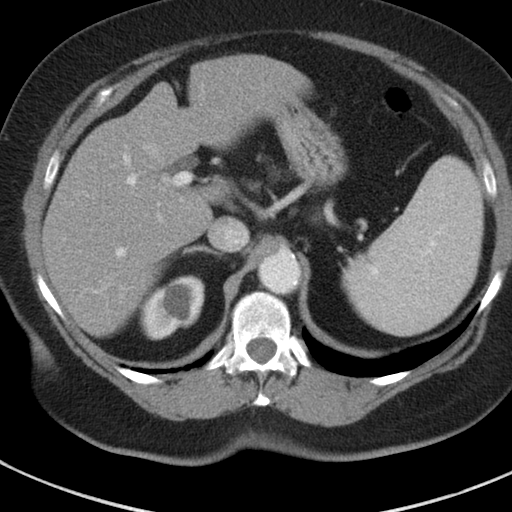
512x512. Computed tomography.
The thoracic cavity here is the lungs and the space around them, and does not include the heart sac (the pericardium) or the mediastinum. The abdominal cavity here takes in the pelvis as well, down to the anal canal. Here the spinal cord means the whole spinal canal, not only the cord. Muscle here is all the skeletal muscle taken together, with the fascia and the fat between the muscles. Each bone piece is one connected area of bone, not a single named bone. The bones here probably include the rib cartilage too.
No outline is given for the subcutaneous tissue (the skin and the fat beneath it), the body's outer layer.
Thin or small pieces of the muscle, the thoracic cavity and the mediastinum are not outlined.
{"bones":[{"outer":[[253,291],[267,292],[287,305],[291,317],[291,333],[305,344],[312,362],[310,367],[299,364],[293,377],[278,370],[270,370],[262,377],[262,383],[255,371],[246,370],[232,375],[226,372],[224,366],[203,369],[203,365],[226,341],[235,304],[242,296]],"hole":[[257,338],[267,338],[268,339],[270,339],[275,344],[276,346],[276,349],[275,350],[274,354],[268,360],[267,360],[263,363],[260,363],[256,361],[254,359],[253,359],[250,356],[250,355],[247,351],[247,345],[248,343],[251,340],[253,339],[256,339]]},[[497,270],[501,270],[503,271],[504,273],[501,285],[497,293],[491,300],[491,301],[478,314],[476,314],[476,311],[480,303],[480,300],[482,298],[484,293],[486,291],[487,287],[490,282],[490,280],[492,278],[493,275]],[[115,365],[120,365],[124,367],[129,367],[131,369],[133,369],[136,371],[138,371],[145,374],[154,375],[158,378],[161,379],[162,381],[159,383],[150,383],[149,384],[143,384],[142,383],[138,383],[137,382],[135,382],[120,373],[115,368]],[[55,149],[58,149],[60,153],[60,159],[59,160],[59,168],[55,176],[55,178],[53,181],[53,183],[52,185],[49,189],[45,189],[43,187],[43,180],[44,179],[44,176],[45,175],[45,171],[46,170],[46,167],[48,164],[49,159],[52,153]],[[37,273],[39,273],[42,276],[43,279],[47,284],[48,287],[50,289],[51,292],[53,294],[54,297],[59,304],[61,308],[61,310],[63,312],[65,316],[65,319],[62,319],[59,316],[59,315],[50,306],[50,305],[44,298],[36,282],[36,275]],[[483,157],[485,157],[489,160],[490,164],[493,170],[494,176],[495,177],[495,181],[496,182],[496,195],[495,197],[493,198],[492,197],[490,197],[488,195],[486,188],[485,187],[485,185],[484,184],[484,181],[483,180],[483,176],[482,175],[482,158]],[[111,85],[115,87],[115,91],[114,93],[111,96],[109,100],[109,102],[108,103],[106,103],[104,104],[95,113],[90,113],[88,111],[88,108],[90,104],[92,102],[95,95],[102,88],[104,88],[105,87],[107,87]],[[405,370],[410,370],[411,371],[410,373],[396,382],[390,383],[389,384],[383,385],[382,386],[376,385],[369,382],[369,379],[370,378],[384,376],[385,375],[388,375],[389,374],[392,374],[393,373],[396,373],[397,372],[404,371]],[[443,95],[448,95],[455,100],[456,100],[458,102],[458,103],[462,107],[463,114],[466,117],[465,119],[464,119],[463,117],[461,116],[459,116],[458,115],[458,113],[455,110],[454,110],[451,107],[450,107],[446,103],[446,102],[443,98]],[[260,389],[261,389],[261,390],[262,391],[262,392],[270,400],[270,402],[267,405],[266,405],[265,406],[257,406],[256,405],[253,405],[252,404],[252,402],[253,401],[253,400],[254,400],[256,398],[256,397],[258,394],[258,392]]],"abdominal_cavity":[[[278,34],[375,57],[427,90],[461,134],[491,206],[486,289],[442,335],[364,358],[312,336],[299,308],[300,264],[289,253],[272,253],[243,279],[216,351],[181,367],[120,363],[66,317],[46,282],[41,222],[60,166],[86,128],[158,68],[193,48]]],"mediastinum":[[[272,254],[289,254],[295,258],[299,264],[300,273],[299,279],[297,280],[298,308],[303,325],[301,326],[302,339],[294,333],[290,310],[288,305],[281,298],[264,290],[253,290],[245,293],[238,299],[239,292],[246,276],[251,271],[258,268],[262,261]]],"thoracic_cavity":[[[478,302],[479,303],[476,310],[465,328],[457,337],[439,352],[410,369],[400,370],[379,376],[352,376],[327,369],[318,363],[310,355],[302,336],[303,326],[307,329],[311,336],[318,342],[338,352],[364,359],[383,358],[431,341],[449,332],[464,320]],[[211,350],[215,352],[212,356],[202,365],[196,367],[191,367],[188,369],[182,369],[175,372],[161,373],[160,374],[150,374],[136,370],[130,367],[138,367],[139,368],[146,368],[147,369],[181,368],[187,364],[191,364],[196,360],[201,358],[202,356]]],"muscle":[{"outer":[[295,28],[308,30],[334,31],[367,40],[389,49],[395,50],[421,64],[444,82],[454,87],[463,94],[480,112],[490,127],[503,153],[507,165],[508,176],[511,182],[511,266],[507,274],[505,286],[497,296],[497,299],[494,302],[488,315],[487,326],[481,342],[473,353],[463,363],[454,369],[441,373],[435,373],[428,378],[410,386],[407,389],[396,394],[379,405],[368,413],[365,417],[353,423],[342,426],[324,427],[320,425],[299,421],[269,407],[256,409],[246,408],[234,413],[208,419],[187,419],[184,421],[173,421],[162,418],[140,407],[106,378],[101,376],[84,364],[81,359],[75,355],[68,347],[58,332],[51,325],[51,322],[37,297],[37,294],[34,290],[31,281],[30,270],[28,267],[27,258],[23,246],[23,240],[21,236],[24,224],[23,221],[24,216],[21,209],[21,201],[24,191],[32,177],[33,164],[36,160],[38,149],[45,136],[61,113],[89,84],[130,60],[135,59],[160,47],[165,47],[172,44],[209,35],[217,35],[221,33],[232,32],[240,33],[262,29]],"holes":[[[278,34],[307,36],[375,57],[427,90],[475,161],[493,213],[491,276],[503,271],[501,285],[449,344],[386,385],[331,371],[307,349],[310,367],[299,364],[293,377],[270,370],[262,383],[255,371],[232,375],[224,366],[205,370],[202,365],[155,374],[159,383],[135,382],[115,368],[119,361],[59,316],[36,282],[37,273],[46,280],[40,231],[52,189],[43,187],[49,159],[58,149],[60,166],[96,118],[191,49]],[[483,157],[485,157],[489,160],[490,164],[493,170],[494,176],[495,177],[495,181],[496,182],[496,195],[495,197],[493,198],[492,197],[490,197],[488,195],[486,188],[485,187],[485,185],[484,184],[484,181],[483,180],[483,176],[482,175],[482,158]],[[111,85],[115,87],[115,91],[114,93],[111,96],[109,100],[109,102],[108,103],[106,103],[104,104],[95,113],[90,113],[88,111],[88,108],[90,104],[92,102],[95,95],[102,88],[104,88],[105,87],[107,87]],[[443,95],[448,95],[455,100],[456,100],[458,102],[458,103],[462,107],[463,114],[466,117],[465,119],[464,119],[463,117],[461,116],[459,116],[458,115],[458,113],[455,110],[454,110],[451,107],[450,107],[446,103],[446,102],[443,98]],[[260,389],[261,389],[261,390],[262,391],[262,392],[270,400],[270,402],[267,405],[266,405],[265,406],[257,406],[256,405],[253,405],[252,404],[252,402],[253,401],[253,400],[254,400],[256,398],[256,397],[258,394],[258,392]]]}],"torso":[[[154,0],[386,0],[449,25],[483,47],[505,68],[511,76],[511,392],[480,421],[433,444],[371,459],[321,462],[245,450],[217,463],[189,467],[99,448],[62,427],[36,402],[26,381],[24,337],[0,292],[0,129],[20,87],[56,45],[100,19]]],"spinal_cord":[[[257,338],[267,338],[268,339],[270,339],[275,344],[276,346],[276,349],[275,350],[274,354],[268,360],[267,360],[263,363],[260,363],[256,361],[254,359],[253,359],[250,356],[250,355],[247,351],[247,345],[248,343],[251,340],[253,339],[256,339]]]}